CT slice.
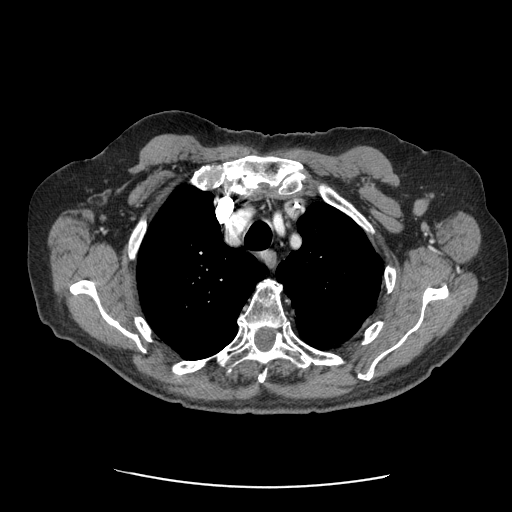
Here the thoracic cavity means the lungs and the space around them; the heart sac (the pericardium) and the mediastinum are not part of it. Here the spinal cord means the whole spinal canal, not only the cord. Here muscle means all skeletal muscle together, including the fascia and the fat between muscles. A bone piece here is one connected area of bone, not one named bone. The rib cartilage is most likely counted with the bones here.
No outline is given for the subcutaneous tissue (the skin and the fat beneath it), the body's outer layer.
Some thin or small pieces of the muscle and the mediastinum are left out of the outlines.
{"spinal_cord":[[[265,327],[267,328],[269,328],[270,329],[273,329],[274,330],[274,340],[273,341],[273,344],[271,346],[271,347],[268,350],[263,351],[259,349],[257,347],[255,343],[255,336],[258,332],[258,331],[260,329],[262,328],[264,328]]],"bones":[{"outer":[[265,278],[282,285],[281,301],[296,335],[314,348],[338,354],[345,362],[300,368],[288,359],[276,358],[267,364],[262,383],[257,377],[263,366],[255,360],[241,361],[229,373],[212,359],[193,372],[174,374],[173,363],[211,356],[234,338],[240,313]],"hole":[[265,327],[267,328],[269,328],[270,329],[273,329],[274,330],[274,340],[273,341],[273,344],[271,346],[271,347],[268,350],[263,351],[259,349],[257,347],[255,343],[255,336],[258,332],[258,331],[260,329],[262,328],[264,328]]},[[248,155],[270,155],[300,162],[304,167],[303,171],[307,175],[307,179],[299,192],[280,195],[276,192],[276,187],[270,187],[267,183],[261,182],[251,194],[244,195],[228,191],[222,185],[213,190],[201,190],[187,182],[194,171],[202,165],[219,164]],[[82,279],[94,282],[104,310],[128,331],[133,333],[138,331],[133,321],[134,315],[144,318],[152,330],[154,340],[147,342],[140,339],[147,350],[146,353],[140,351],[132,339],[110,325],[101,316],[89,295],[83,293],[74,295],[69,291],[71,284]],[[443,283],[448,288],[449,293],[447,297],[431,300],[426,305],[424,316],[419,327],[401,345],[386,354],[376,364],[371,379],[364,380],[358,378],[358,372],[365,372],[378,355],[394,345],[417,322],[420,316],[424,290],[429,286],[439,287]],[[320,182],[323,182],[329,185],[341,196],[342,196],[352,204],[353,204],[353,205],[366,217],[371,225],[374,228],[375,232],[372,235],[368,233],[358,224],[357,224],[349,216],[348,216],[337,208],[325,202],[321,198],[316,188],[316,185]],[[144,212],[146,213],[147,228],[144,234],[144,236],[142,239],[142,241],[139,246],[139,248],[138,249],[138,251],[136,255],[136,259],[135,261],[132,261],[130,260],[128,257],[128,252],[127,251],[127,243],[128,242],[128,238],[133,227]],[[377,320],[382,320],[384,322],[384,324],[381,330],[379,332],[377,336],[373,340],[372,340],[369,343],[367,344],[365,344],[364,345],[361,345],[360,344],[360,341],[362,339],[362,333],[364,329],[366,327],[367,327],[369,325],[370,325]],[[387,264],[390,264],[396,269],[396,279],[395,280],[395,284],[394,285],[394,287],[392,289],[390,293],[387,293],[386,292],[386,287],[385,286],[385,282],[384,281],[384,277],[383,276],[383,274],[384,273],[384,269],[385,268],[385,266]]],"muscle":[{"outer":[[164,133],[193,135],[207,146],[239,143],[261,151],[299,147],[336,154],[355,145],[378,149],[391,162],[394,172],[405,184],[463,209],[477,221],[481,244],[472,266],[478,278],[473,302],[443,336],[412,361],[337,397],[297,399],[264,391],[249,400],[203,401],[163,389],[139,373],[121,350],[96,340],[67,314],[53,291],[47,239],[52,224],[63,211],[83,207],[107,194],[125,172],[138,162],[141,148],[154,136]],"holes":[[[248,155],[298,161],[307,179],[294,194],[261,182],[245,197],[320,198],[316,185],[329,185],[374,228],[364,232],[396,269],[395,284],[387,293],[382,277],[374,311],[330,350],[343,364],[300,368],[276,358],[260,383],[257,361],[226,373],[212,359],[177,375],[170,367],[180,356],[155,334],[140,339],[143,353],[69,286],[93,281],[104,310],[136,333],[133,317],[143,312],[127,251],[133,227],[202,165]],[[443,283],[448,288],[449,293],[447,297],[431,300],[426,305],[424,316],[419,327],[401,345],[386,354],[376,364],[371,379],[364,380],[358,378],[358,372],[365,372],[378,355],[394,345],[417,322],[420,316],[424,290],[429,286],[439,287]],[[377,320],[382,320],[384,322],[384,324],[381,330],[379,332],[377,336],[373,340],[372,340],[369,343],[367,344],[365,344],[364,345],[361,345],[360,344],[360,341],[362,339],[362,333],[364,329],[366,327],[367,327],[369,325],[370,325]]]}],"mediastinum":[[[218,188],[253,200],[265,196],[289,198],[309,195],[318,197],[311,201],[297,218],[296,228],[301,238],[301,243],[279,262],[275,269],[274,278],[267,277],[268,268],[252,254],[232,247],[224,241],[221,226],[215,215],[215,195],[213,191]],[[282,292],[284,293],[289,298],[292,304],[292,307],[293,308],[293,316],[294,317],[294,331],[293,329],[293,326],[292,325],[292,322],[290,318],[287,315],[286,310],[284,307],[284,305],[282,301]]],"thoracic_cavity":[[[186,181],[201,191],[212,191],[214,215],[225,244],[252,255],[268,270],[266,277],[256,283],[253,293],[239,313],[236,319],[237,331],[233,338],[215,353],[198,359],[181,359],[153,333],[143,316],[135,273],[137,255],[147,231],[148,222],[170,193]],[[319,198],[349,217],[364,231],[375,250],[381,256],[384,264],[381,289],[374,311],[348,340],[330,350],[314,347],[297,335],[295,332],[293,304],[283,292],[283,285],[275,279],[276,269],[280,262],[302,243],[302,238],[297,228],[298,218],[311,202]]],"left_arm":[[[483,184],[484,192],[485,193],[485,200],[486,201],[487,208],[490,213],[497,220],[501,226],[504,232],[506,241],[498,237],[496,235],[485,230],[471,219],[470,219],[467,215],[467,210],[466,209],[466,202],[467,200],[473,193],[475,189]]],"torso":[[[170,109],[229,129],[266,134],[372,126],[425,150],[456,154],[483,183],[465,202],[467,217],[507,243],[502,297],[426,379],[373,404],[324,413],[229,414],[185,408],[136,388],[39,319],[26,265],[27,210],[33,191],[52,172],[94,156],[140,118]]]}